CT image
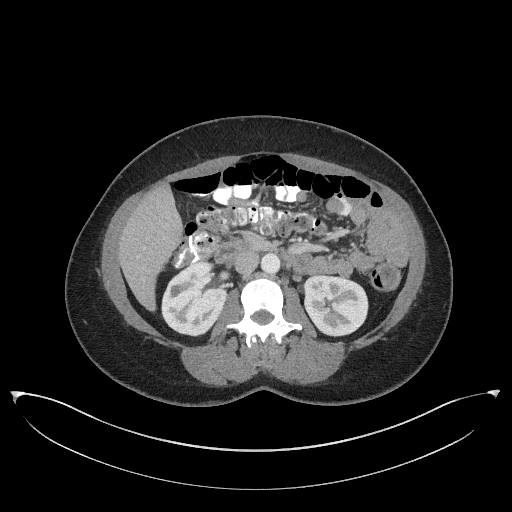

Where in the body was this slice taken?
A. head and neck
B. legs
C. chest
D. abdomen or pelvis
D. abdomen or pelvis
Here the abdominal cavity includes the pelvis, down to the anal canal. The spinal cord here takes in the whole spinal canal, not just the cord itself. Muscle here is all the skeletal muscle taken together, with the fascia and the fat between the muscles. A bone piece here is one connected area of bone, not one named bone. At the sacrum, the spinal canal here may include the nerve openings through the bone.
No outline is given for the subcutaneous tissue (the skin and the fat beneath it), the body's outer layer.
The muscle is outlined by 209,387 229,387 230,386 233,386 250,379 253,376 260,372 268,374 290,384 296,384 297,385 307,385 308,384 311,384 312,385 313,384 318,384 326,381 333,375 339,369 344,360 351,352 370,345 375,342 381,336 386,334 395,326 403,318 405,314 408,312 413,300 416,297 416,294 420,290 423,280 424,272 425,271 426,255 427,254 426,253 425,240 421,226 411,206 397,192 390,187 375,179 368,177 359,171 356,171 348,167 339,165 333,162 326,161 320,158 307,156 299,153 274,152 273,151 266,151 265,150 252,151 238,155 222,155 212,159 207,159 193,166 190,166 184,169 170,173 126,198 113,214 104,235 104,238 102,243 102,250 101,251 101,261 100,262 100,267 102,270 103,286 107,292 108,296 118,311 122,315 127,324 132,326 137,330 149,335 153,341 163,346 175,350 179,354 180,359 187,371 194,378 with a hole at 248,347 269,337 281,343 301,329 282,315 286,286 298,290 322,339 353,339 385,317 405,280 408,242 368,184 260,154 161,184 132,210 118,257 137,311 164,335 203,344 238,287 244,314 226,328 243,334. The spinal cord is outlined by 259,324 265,324 266,323 267,323 268,322 269,322 273,318 273,316 269,312 268,312 267,311 266,311 265,310 259,310 258,311 257,311 256,312 255,312 251,316 251,318 254,321 255,321 256,322 257,322. The bones are outlined by 248,347 258,340 264,343 269,337 281,343 282,338 288,332 301,329 299,323 288,322 284,319 282,290 277,282 268,278 255,278 244,285 240,293 244,314 237,323 226,325 226,328 233,328 243,334; inner edge: 259,324 265,324 266,323 267,323 268,322 269,322 273,318 273,316 269,312 268,312 267,311 266,311 265,310 259,310 258,311 257,311 256,312 255,312 251,316 251,318 254,321 255,321 256,322 257,322. The torso is outlined by 189,407 221,405 260,390 315,405 358,403 394,390 426,363 445,330 451,311 451,255 422,192 390,155 332,125 288,116 237,115 198,122 160,138 114,177 73,244 64,280 67,316 86,355 110,378 146,397. The abdominal cavity is outlined by 189,345 208,340 233,288 240,291 260,276 277,281 284,296 286,286 298,290 322,339 353,339 373,328 401,289 409,261 407,236 390,206 354,176 305,171 276,154 244,157 154,188 122,228 120,269 137,311.